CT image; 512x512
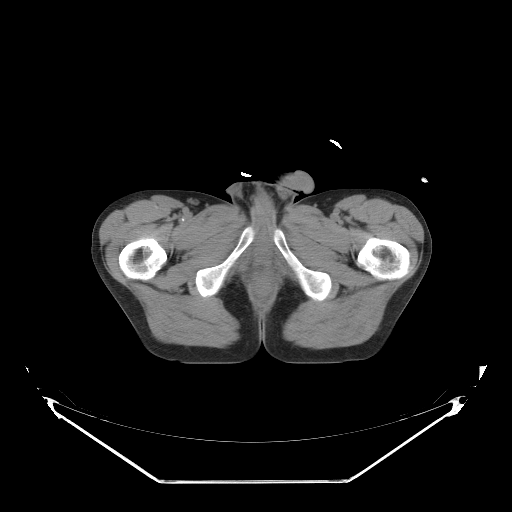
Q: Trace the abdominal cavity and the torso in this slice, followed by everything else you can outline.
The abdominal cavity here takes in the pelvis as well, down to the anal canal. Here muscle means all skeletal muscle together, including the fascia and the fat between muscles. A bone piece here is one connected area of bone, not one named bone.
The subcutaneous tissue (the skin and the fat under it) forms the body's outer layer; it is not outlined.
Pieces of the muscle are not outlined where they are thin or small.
A: The abdominal cavity is outlined by [[261,246],[265,246],[268,248],[269,259],[267,262],[277,272],[277,283],[275,286],[275,291],[269,303],[265,306],[258,306],[258,304],[252,297],[252,294],[250,291],[250,276],[252,274],[252,271],[260,264],[258,263],[258,260],[256,258],[256,250]]. The torso is outlined by [[295,169],[313,178],[314,194],[389,189],[423,215],[430,261],[384,346],[370,358],[333,364],[285,363],[262,345],[253,358],[225,365],[189,365],[150,353],[93,264],[91,233],[100,212],[143,189],[195,190],[229,201],[225,189],[233,182],[271,182]]. The muscle is outlined by [[151,194],[197,209],[237,205],[261,228],[289,205],[322,209],[349,195],[374,195],[414,214],[424,233],[422,259],[392,295],[368,340],[323,349],[295,346],[282,338],[283,323],[306,296],[326,299],[333,282],[326,271],[305,266],[276,227],[272,241],[301,289],[287,277],[273,309],[256,315],[235,275],[218,296],[239,320],[239,340],[226,348],[162,343],[152,336],[138,300],[106,270],[99,249],[104,219],[118,206]]; inner edges: [[370,237],[378,237],[379,238],[390,239],[391,240],[394,240],[403,245],[410,253],[410,268],[409,271],[405,275],[400,278],[397,279],[391,279],[390,280],[389,279],[386,279],[380,281],[377,280],[368,271],[357,266],[356,264],[357,254],[365,242]], then [[145,237],[154,238],[163,247],[167,254],[167,260],[163,266],[156,272],[155,275],[149,280],[146,280],[145,281],[139,279],[128,278],[123,273],[119,266],[119,263],[118,262],[119,253],[121,249],[127,243],[133,240],[139,238],[144,238]], then [[247,226],[251,226],[254,230],[255,233],[253,240],[240,254],[230,267],[223,280],[221,286],[217,292],[210,296],[207,296],[206,297],[201,296],[198,292],[195,285],[196,272],[199,269],[214,266],[221,263],[233,250],[239,239],[242,231],[244,228]], then [[261,246],[265,246],[268,248],[269,259],[267,262],[277,272],[277,283],[275,286],[275,291],[269,303],[265,306],[258,306],[258,304],[252,297],[252,294],[250,291],[250,276],[252,274],[252,271],[260,264],[258,263],[258,260],[256,258],[256,250]]. The bones appear in 4 outlined pieces: piece 1: [[370,237],[378,237],[379,238],[390,239],[391,240],[394,240],[403,245],[410,253],[410,268],[409,271],[405,275],[400,278],[397,279],[391,279],[390,280],[389,279],[386,279],[380,281],[377,280],[368,271],[357,266],[356,264],[357,254],[365,242]]; piece 2: [[145,237],[154,238],[163,247],[167,254],[167,260],[163,266],[156,272],[155,275],[149,280],[146,280],[145,281],[139,279],[128,278],[123,273],[119,266],[119,263],[118,262],[119,253],[121,249],[127,243],[133,240],[139,238],[144,238]]; piece 3: [[276,228],[280,229],[283,232],[289,248],[305,267],[312,270],[326,272],[330,276],[332,282],[332,286],[331,287],[331,290],[326,298],[320,301],[319,300],[315,300],[305,294],[300,286],[296,274],[288,264],[283,255],[273,241],[273,233]]; piece 4: [[247,226],[251,226],[254,230],[255,233],[253,240],[240,254],[230,267],[223,280],[221,286],[217,292],[210,296],[207,296],[206,297],[201,296],[198,292],[195,285],[196,272],[199,269],[214,266],[221,263],[233,250],[239,239],[242,231],[244,228]].